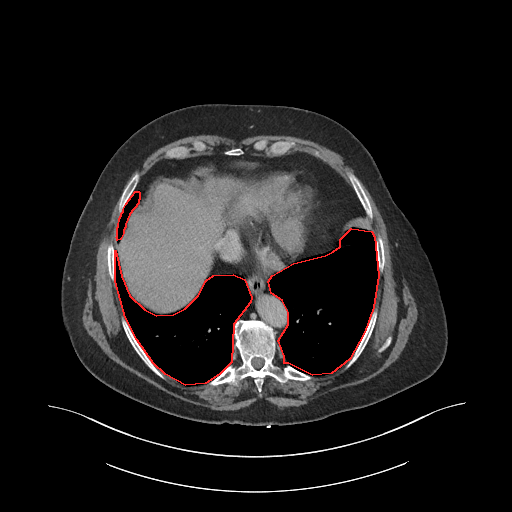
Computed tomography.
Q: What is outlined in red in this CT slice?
A: red: thoracic cavity.
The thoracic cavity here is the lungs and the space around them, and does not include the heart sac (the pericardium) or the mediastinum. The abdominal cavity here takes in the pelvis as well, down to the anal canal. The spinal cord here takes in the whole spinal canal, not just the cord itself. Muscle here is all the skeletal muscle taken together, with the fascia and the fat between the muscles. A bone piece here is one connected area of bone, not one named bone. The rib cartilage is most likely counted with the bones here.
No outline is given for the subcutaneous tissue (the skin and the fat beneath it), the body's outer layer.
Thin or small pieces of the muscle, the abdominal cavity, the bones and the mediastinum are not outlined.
The thoracic cavity appears in 3 outlined pieces: piece 1: 351 228; 371 231; 374 236; 378 275; 373 307; 364 332; 349 359; 331 373; 312 375; 288 363; 284 363; 284 356; 278 340; 288 324; 288 312; 282 300; 271 293; 268 281; 272 275; 293 263; 325 255; 333 251; 340 246; 340 239; piece 2: 115 250; 121 276; 129 295; 144 309; 156 315; 173 314; 185 308; 198 295; 206 280; 213 275; 233 274; 244 279; 251 297; 250 302; 233 324; 231 362; 219 374; 205 383; 185 385; 165 374; 153 363; 137 340; 125 317; 115 281; piece 3: 135 191; 138 191; 139 192; 139 199; 138 200; 138 203; 129 214; 125 224; 125 227; 123 230; 123 233; 120 239; 117 240; 117 238; 116 237; 117 236; 117 227; 118 226; 119 218; 121 215; 121 213; 123 211; 123 209; 126 203. The mediastinum appears in 3 outlined pieces: piece 1: 294 152; 304 152; 321 160; 337 171; 349 183; 363 210; 363 218; 370 230; 351 227; 341 236; 339 246; 333 250; 295 262; 308 242; 310 232; 321 208; 319 181; 312 171; 303 167; 291 163; 272 164; 264 160; 267 157; 282 156; piece 2: 246 242; 255 259; 266 269; 272 271; 278 271; 285 267; 282 270; 272 274; 267 281; 270 293; 281 300; 287 312; 287 324; 278 339; 274 328; 264 321; 260 319; 240 318; 249 306; 252 298; 245 279; 241 275; 233 273; 220 273; 222 265; 231 262; piece 3: 215 152; 223 154; 226 156; 231 156; 224 169; 221 168; 215 163; 211 163; 200 165; 189 180; 171 176; 157 177; 146 190; 141 202; 140 192; 138 190; 135 190; 144 176; 158 162; 164 159; 184 159; 195 156; 197 154; 212 154. The torso is outlined by 208 103; 285 105; 311 110; 346 127; 367 148; 393 199; 415 229; 440 290; 447 350; 430 377; 374 404; 323 419; 288 425; 244 425; 205 423; 162 412; 112 390; 83 367; 61 316; 62 272; 82 209; 104 166; 130 135; 167 112. The abdominal cavity is outlined by 257 151; 269 156; 263 160; 271 165; 244 176; 232 204; 222 213; 225 229; 244 237; 243 247; 205 280; 185 307; 168 314; 144 308; 126 287; 114 246; 140 196; 142 202; 157 178; 189 181; 200 166; 215 164; 224 170; 232 156. The muscle is outlined by 197 134; 235 139; 258 134; 293 135; 339 153; 354 169; 386 225; 394 277; 400 286; 401 280; 405 280; 417 307; 416 322; 393 363; 367 381; 328 392; 299 406; 280 408; 261 398; 236 410; 216 410; 177 398; 140 378; 112 360; 87 333; 81 318; 88 280; 95 273; 98 242; 119 196; 115 244; 106 245; 107 272; 124 314; 120 321; 125 336; 139 358; 159 378; 163 380; 166 375; 185 386; 206 383; 235 386; 250 377; 261 397; 267 376; 282 384; 289 380; 309 381; 313 376; 331 374; 343 366; 348 369; 366 347; 378 317; 374 304; 378 276; 384 271; 386 257; 381 235; 375 236; 364 218; 365 214; 372 217; 373 208; 361 180; 347 169; 348 182; 332 164; 320 159; 316 149; 311 153; 290 153; 297 146; 294 140; 269 142; 266 138; 255 141; 252 148; 256 151; 251 153; 238 146; 223 153; 200 153; 208 146; 198 139; 189 145; 175 145; 166 149; 163 153; 166 158; 140 180; 138 170; 131 174; 153 151; 176 139; inner edge: 389 336; 391 336; 392 337; 392 340; 391 341; 391 343; 382 352; 381 352; 380 353; 379 353; 377 351; 377 350; 382 345; 382 344; 385 341; 385 340. The spinal cord is outlined by 254 357; 259 357; 260 358; 262 358; 263 359; 263 365; 260 368; 259 368; 258 369; 257 369; 256 368; 255 368; 252 365; 252 363; 251 362; 251 361; 252 360; 252 359. The bones appear in 11 outlined pieces: piece 1: 239 319; 260 320; 271 326; 276 332; 283 356; 281 360; 276 358; 275 362; 288 364; 312 378; 289 379; 282 383; 267 375; 263 379; 261 396; 250 376; 235 385; 209 385; 208 382; 232 362; 232 355; 236 351; 233 346; 233 327; inner edge: 254 357; 259 357; 260 358; 262 358; 263 359; 263 365; 260 368; 259 368; 258 369; 257 369; 256 368; 255 368; 252 365; 252 363; 251 362; 251 361; 252 360; 252 359; piece 2: 262 139; 266 139; 269 143; 271 143; 275 141; 278 141; 279 140; 294 141; 296 143; 296 146; 295 148; 292 149; 289 153; 286 153; 282 155; 277 155; 276 156; 270 156; 268 155; 264 150; 256 150; 253 148; 253 144; 255 142; piece 3: 122 316; 124 316; 133 335; 135 337; 136 340; 148 358; 152 362; 152 363; 165 375; 165 377; 163 379; 155 374; 145 364; 145 363; 140 358; 131 345; 128 338; 126 336; 126 334; 122 326; 122 322; 121 321; 121 317; piece 4: 194 140; 198 140; 205 143; 207 147; 206 149; 202 152; 200 152; 199 153; 197 153; 195 155; 193 155; 189 157; 185 157; 184 158; 167 158; 165 157; 164 153; 166 150; 172 147; 174 147; 175 146; 179 146; 180 145; 189 146; piece 5: 347 170; 351 170; 356 175; 356 176; 360 180; 361 183; 363 185; 364 189; 366 192; 366 194; 369 199; 371 207; 372 208; 372 213; 371 214; 371 217; 369 217; 364 212; 364 210; 347 177; 347 175; 346 174; 346 171; piece 6: 374 307; 376 307; 377 308; 377 317; 376 318; 375 324; 374 325; 373 330; 371 333; 371 335; 365 347; 363 349; 358 358; 348 368; 346 369; 344 368; 344 366; 353 355; 355 350; 357 348; 365 332; 365 330; 369 322; 369 320; piece 7: 135 171; 138 171; 140 174; 140 178; 139 179; 139 181; 134 191; 125 203; 122 209; 122 211; 120 213; 120 215; 119 213; 119 205; 118 204; 119 202; 119 199; 120 198; 120 196; 122 193; 122 191; 124 187; 126 185; 127 182; piece 8: 378 234; 380 235; 383 241; 383 246; 384 247; 384 256; 385 257; 385 262; 384 263; 384 266; 383 267; 383 271; 381 273; 379 273; 379 271; 378 270; 378 265; 377 264; 377 255; 376 254; 376 245; 375 244; 375 237; piece 9: 110 243; 111 243; 114 247; 114 257; 115 258; 114 259; 115 260; 115 275; 114 276; 114 279; 115 280; 114 281; 115 282; 115 284; 114 283; 114 282; 111 279; 111 278; 109 275; 109 273; 108 272; 108 266; 107 265; 107 245; piece 10: 237 147; 238 147; 239 148; 241 148; 244 151; 244 153; 243 154; 242 154; 241 155; 238 155; 237 156; 233 156; 232 155; 226 155; 225 154; 224 154; 224 153; 223 152; 225 150; 227 150; 228 149; 231 149; 232 148; 236 148; piece 11: 389 336; 391 336; 392 337; 392 340; 391 341; 391 343; 382 352; 381 352; 380 353; 379 353; 377 351; 377 350; 382 345; 382 344; 385 341; 385 340. The pericardium is outlined by 289 164; 312 172; 316 180; 318 181; 319 195; 321 201; 320 208; 309 232; 307 242; 301 254; 292 263; 278 270; 272 270; 266 268; 256 259; 248 247; 246 239; 243 235; 226 229; 223 213; 233 204; 237 187; 244 177; 272 165.